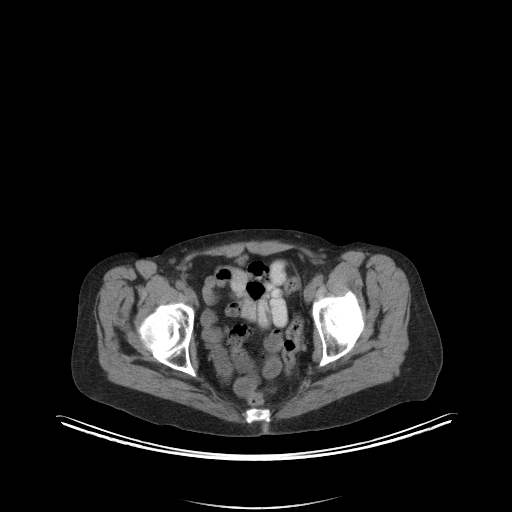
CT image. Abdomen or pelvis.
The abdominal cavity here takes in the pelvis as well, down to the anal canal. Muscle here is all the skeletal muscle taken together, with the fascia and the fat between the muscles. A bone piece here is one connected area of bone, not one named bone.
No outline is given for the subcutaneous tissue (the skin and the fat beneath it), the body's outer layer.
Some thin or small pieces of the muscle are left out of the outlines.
The torso is outlined by 250 227; 299 230; 339 245; 361 241; 396 249; 408 257; 421 278; 443 347; 442 367; 430 396; 423 401; 398 404; 339 427; 257 437; 226 437; 156 425; 81 393; 72 379; 70 357; 80 285; 97 262; 129 250; 152 256; 192 237. The bones appear in 3 outlined pieces: piece 1: 172 302; 182 302; 191 306; 194 310; 193 330; 191 337; 189 340; 188 353; 191 365; 196 372; 196 377; 193 377; 183 371; 171 368; 169 366; 158 361; 153 356; 152 353; 144 346; 139 337; 137 329; 142 320; 152 312; 157 306; piece 2: 348 290; 351 290; 355 294; 358 304; 362 311; 364 319; 363 330; 353 347; 347 353; 336 360; 329 362; 323 366; 319 366; 319 362; 322 357; 322 344; 318 331; 314 325; 314 321; 312 317; 312 303; 314 300; 321 297; 343 295; piece 3: 248 408; 267 408; 268 409; 269 409; 269 410; 271 413; 271 414; 270 415; 270 421; 266 421; 265 420; 256 420; 255 421; 253 421; 250 423; 248 423; 247 422; 246 422; 246 420; 245 419; 245 411. The muscle is outlined by 251 240; 280 240; 310 249; 377 250; 393 258; 411 295; 409 345; 399 375; 271 421; 267 407; 291 397; 307 371; 314 327; 321 344; 319 367; 347 354; 365 327; 351 289; 314 299; 325 274; 302 251; 291 248; 193 257; 183 276; 191 305; 159 304; 136 329; 158 362; 193 378; 193 332; 198 373; 222 398; 246 409; 244 411; 246 423; 265 421; 242 424; 224 420; 108 380; 98 360; 94 307; 109 269. The abdominal cavity is outlined by 291 249; 307 256; 307 259; 321 270; 325 278; 315 291; 311 303; 314 326; 311 360; 295 392; 287 399; 266 407; 244 408; 222 397; 199 373; 197 343; 193 331; 195 310; 185 291; 186 268; 197 256; 235 258; 244 250; 269 255.